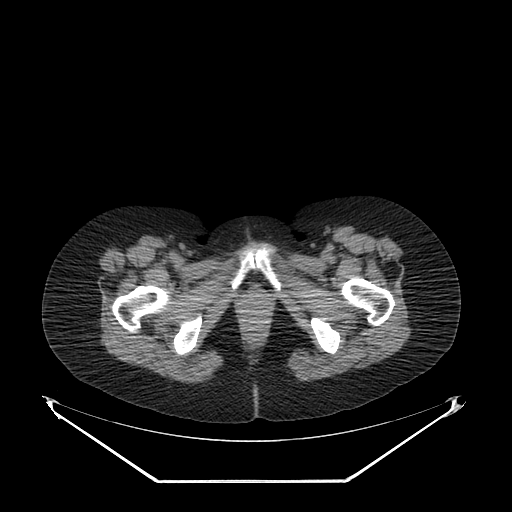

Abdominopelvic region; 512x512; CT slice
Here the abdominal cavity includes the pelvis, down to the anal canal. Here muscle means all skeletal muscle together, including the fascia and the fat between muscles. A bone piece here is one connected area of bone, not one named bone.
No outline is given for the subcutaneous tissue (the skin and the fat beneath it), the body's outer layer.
{"muscle":[{"outer":[[343,225],[367,225],[383,231],[403,250],[401,286],[412,329],[406,344],[378,363],[332,377],[297,382],[289,373],[288,357],[294,349],[313,345],[279,301],[274,306],[266,343],[252,356],[243,348],[234,308],[231,306],[225,312],[205,339],[224,359],[215,377],[206,383],[188,384],[130,365],[107,353],[98,342],[98,260],[107,248],[123,239],[162,235],[178,251],[199,260],[221,256],[252,240],[306,254],[333,228]],"holes":[[[264,245],[270,254],[271,265],[282,283],[282,286],[279,292],[273,291],[274,304],[272,306],[272,316],[265,338],[257,347],[248,349],[243,335],[240,316],[237,311],[237,291],[232,290],[230,281],[240,265],[240,255],[242,251],[248,247],[259,248]],[[138,285],[154,285],[163,288],[164,291],[167,294],[168,300],[166,306],[159,313],[151,313],[142,316],[140,319],[141,327],[133,335],[132,333],[129,332],[117,322],[114,317],[114,315],[112,313],[111,305],[117,296],[126,294]],[[352,276],[360,276],[367,279],[381,287],[386,288],[392,294],[395,301],[395,305],[388,318],[381,324],[376,326],[370,325],[366,318],[367,314],[366,312],[362,308],[355,307],[348,304],[345,301],[345,299],[342,295],[340,294],[341,284],[348,280]],[[197,317],[200,317],[202,318],[202,323],[201,324],[200,332],[198,335],[198,338],[197,339],[196,345],[195,347],[194,347],[189,352],[182,355],[179,355],[174,350],[174,347],[173,346],[173,338],[179,329],[179,324]],[[313,316],[318,316],[320,317],[322,321],[326,324],[330,325],[334,329],[337,330],[339,332],[341,341],[339,343],[339,347],[335,353],[331,354],[325,351],[323,351],[318,344],[317,340],[314,336],[312,328],[309,325],[310,323],[310,319],[311,317]]]}],"bones":[[[138,285],[154,285],[163,288],[164,291],[167,294],[168,300],[166,306],[159,313],[151,313],[142,316],[140,319],[141,327],[133,335],[132,333],[129,332],[117,322],[114,317],[114,315],[112,313],[111,305],[117,296],[126,294]],[[352,276],[360,276],[367,279],[381,287],[386,288],[392,294],[395,301],[395,305],[388,318],[381,324],[376,326],[370,325],[366,318],[367,314],[366,312],[362,308],[355,307],[348,304],[345,301],[345,299],[342,295],[340,294],[341,284],[348,280]],[[264,245],[266,246],[270,254],[271,265],[278,279],[282,283],[280,291],[276,292],[270,282],[258,269],[251,269],[245,275],[245,277],[238,287],[233,291],[230,285],[230,281],[235,275],[240,265],[240,255],[242,251],[248,247],[259,248]],[[197,317],[200,317],[202,318],[202,323],[201,324],[200,332],[198,335],[198,338],[197,339],[196,345],[195,347],[194,347],[189,352],[182,355],[179,355],[174,350],[174,347],[173,346],[173,338],[179,329],[179,324]],[[313,316],[318,316],[320,317],[322,321],[326,324],[330,325],[334,329],[337,330],[339,332],[341,341],[339,343],[339,347],[335,353],[331,354],[325,351],[323,351],[318,344],[317,340],[314,336],[312,328],[309,325],[310,323],[310,319],[311,317]]],"abdominal_cavity":[[[251,270],[258,270],[269,282],[274,290],[273,291],[274,304],[272,306],[272,316],[270,324],[265,334],[265,338],[261,342],[260,345],[257,347],[252,347],[248,349],[243,335],[240,316],[237,311],[236,304],[237,291],[236,290],[242,283],[246,275]]],"torso":[[[350,194],[387,198],[421,218],[448,251],[460,285],[451,347],[429,370],[389,393],[322,417],[206,423],[142,408],[80,381],[49,347],[41,322],[49,268],[66,240],[96,214],[125,204],[166,205],[194,211],[212,228],[247,214],[287,220],[301,205]]]}